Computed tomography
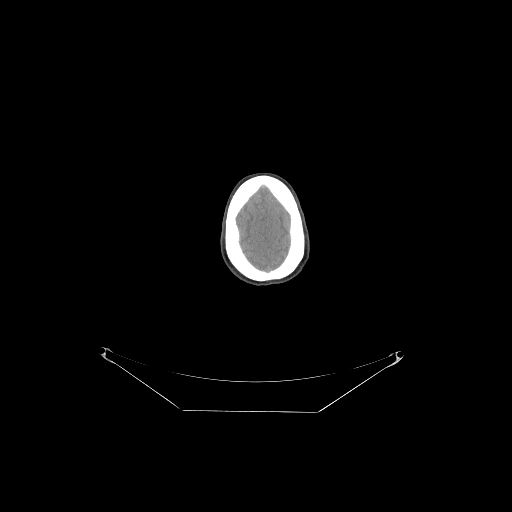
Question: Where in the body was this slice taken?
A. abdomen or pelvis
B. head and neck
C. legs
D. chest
Answer: B. head and neck
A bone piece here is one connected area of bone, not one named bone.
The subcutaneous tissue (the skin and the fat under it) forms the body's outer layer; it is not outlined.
Outlines (x, y in pixels):
brain: 262 187; 265 187; 269 191; 287 213; 289 218; 289 223; 288 224; 289 243; 285 256; 277 266; 268 270; 257 267; 247 257; 241 245; 240 241; 241 240; 241 234; 237 223; 237 217; 242 208; 248 202; 250 198
bones: 256 174; 269 174; 282 180; 292 191; 298 203; 298 206; 302 216; 304 234; 305 235; 305 250; 303 258; 297 267; 290 274; 280 279; 257 281; 244 276; 231 264; 226 255; 224 248; 224 216; 230 197; 234 190; 244 180, around a hole outlined by 262 187; 265 187; 269 191; 287 213; 289 218; 289 223; 288 224; 289 243; 285 256; 277 266; 268 270; 257 267; 247 257; 241 245; 240 241; 241 240; 241 234; 237 223; 237 217; 242 208; 248 202; 250 198
head: 261 172; 271 172; 277 174; 291 184; 301 203; 310 234; 310 257; 303 271; 297 277; 287 283; 268 287; 254 287; 247 285; 236 279; 228 271; 221 259; 218 241; 220 233; 220 224; 222 220; 224 208; 230 192; 236 183; 244 176